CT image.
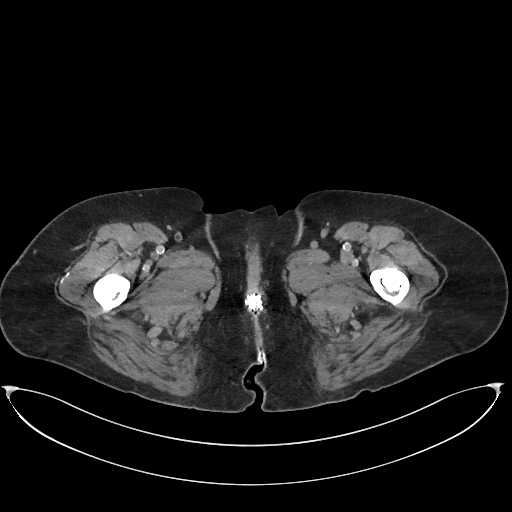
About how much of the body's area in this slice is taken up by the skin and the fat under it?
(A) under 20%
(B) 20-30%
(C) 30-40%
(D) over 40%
(D) over 40%
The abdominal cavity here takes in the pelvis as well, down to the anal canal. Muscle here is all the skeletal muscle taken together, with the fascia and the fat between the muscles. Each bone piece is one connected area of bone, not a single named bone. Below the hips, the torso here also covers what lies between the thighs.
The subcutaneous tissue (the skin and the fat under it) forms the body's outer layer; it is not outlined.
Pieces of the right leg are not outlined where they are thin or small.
The left leg is outlined by 324 189; 411 197; 475 228; 503 264; 508 281; 506 312; 497 331; 480 347; 400 382; 363 391; 344 401; 264 411; 263 393; 250 382; 263 366; 256 318; 263 309; 260 264; 268 255; 287 247; 297 235; 300 222; 294 206; 306 195. The bones appear in 2 outlined pieces: piece 1: 392 264; 396 265; 398 267; 398 268; 408 277; 409 279; 409 289; 408 290; 408 292; 403 298; 403 299; 399 303; 398 306; 395 306; 390 302; 383 299; 374 290; 369 280; 369 275; 374 269; 376 268; 381 268; 385 266; 390 266; piece 2: 109 271; 110 272; 117 273; 127 278; 130 282; 130 288; 127 294; 127 297; 124 301; 123 301; 119 305; 112 308; 109 311; 104 312; 102 309; 102 307; 94 298; 93 296; 93 285; 94 283; 100 277; 101 277; 104 274; 105 274. The torso is outlined by 268 204; 273 205; 279 213; 292 207; 296 208; 299 223; 296 235; 287 246; 268 254; 259 264; 258 290; 262 309; 256 317; 248 307; 246 301; 246 275; 240 267; 233 266; 225 260; 213 246; 206 212; 223 213; 235 208; 252 211. The abdominal cavity is outlined by 249 293; 259 293; 261 295; 261 296; 262 297; 262 298; 263 299; 263 307; 262 308; 262 309; 261 310; 261 311; 260 312; 259 312; 257 314; 256 314; 255 315; 254 315; 252 313; 252 312; 248 308; 248 307; 245 304; 245 297. The right leg is outlined by 162 186; 188 188; 201 196; 212 246; 225 261; 240 268; 245 275; 245 301; 256 319; 260 363; 251 367; 245 376; 244 384; 255 391; 255 400; 243 411; 179 407; 114 389; 59 364; 20 354; 0 329; 3 277; 50 220; 92 196. The muscle appears in 3 outlined pieces: piece 1: 132 217; 150 221; 161 228; 168 236; 170 245; 208 252; 220 270; 221 287; 218 299; 197 333; 204 368; 203 380; 199 390; 189 396; 169 396; 106 365; 90 347; 82 314; 62 303; 54 292; 56 277; 84 250; 92 228; 112 220 with a hole at 109 271; 110 272; 117 273; 127 278; 130 282; 130 288; 127 294; 127 297; 124 301; 123 301; 119 305; 112 308; 109 311; 104 312; 102 309; 102 307; 94 298; 93 296; 93 285; 94 283; 100 277; 101 277; 104 274; 105 274; piece 2: 351 220; 388 220; 409 229; 444 264; 447 272; 442 286; 423 308; 427 320; 419 332; 419 340; 405 355; 370 376; 336 390; 319 392; 306 372; 306 359; 315 330; 298 309; 290 304; 283 272; 290 253; 303 248; 318 249; 338 226; inner edge: 392 264; 396 265; 398 267; 398 268; 408 277; 409 279; 409 289; 408 290; 408 292; 403 298; 403 299; 399 303; 398 306; 395 306; 390 302; 383 299; 374 290; 369 280; 369 275; 374 269; 376 268; 381 268; 385 266; 390 266; piece 3: 256 247; 257 247; 259 255; 260 288; 264 292; 265 296; 268 300; 266 307; 266 313; 270 318; 270 325; 269 327; 261 334; 261 343; 256 341; 255 333; 249 328; 245 319; 244 302; 242 298; 244 292; 247 290; 247 260; 248 257, around a hole outlined by 249 293; 259 293; 261 295; 261 296; 262 297; 262 298; 263 299; 263 307; 262 308; 262 309; 261 310; 261 311; 260 312; 259 312; 257 314; 256 314; 255 315; 254 315; 252 313; 252 312; 248 308; 248 307; 245 304; 245 297.